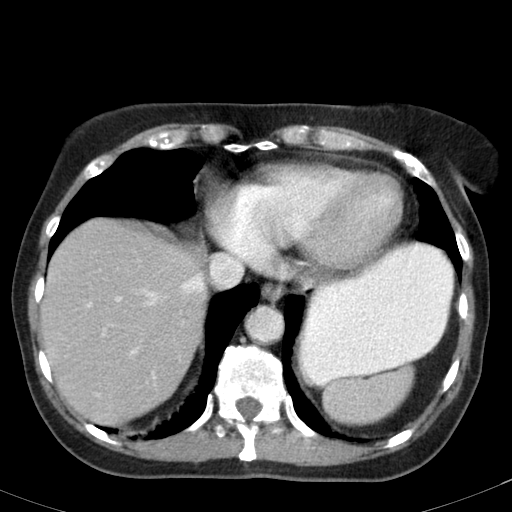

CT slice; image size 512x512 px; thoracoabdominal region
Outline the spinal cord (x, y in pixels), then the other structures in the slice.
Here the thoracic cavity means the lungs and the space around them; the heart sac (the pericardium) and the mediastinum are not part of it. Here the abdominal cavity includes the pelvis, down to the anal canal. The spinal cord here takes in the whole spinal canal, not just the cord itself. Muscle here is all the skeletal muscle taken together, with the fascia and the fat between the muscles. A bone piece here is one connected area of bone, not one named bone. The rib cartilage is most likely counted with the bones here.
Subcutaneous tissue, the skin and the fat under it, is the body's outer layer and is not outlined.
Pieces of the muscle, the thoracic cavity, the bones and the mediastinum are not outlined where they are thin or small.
The spinal cord is outlined by [[248,396],[257,400],[260,403],[261,405],[261,408],[260,410],[253,417],[252,417],[249,420],[245,418],[242,415],[242,414],[238,410],[236,406],[236,403],[239,399],[241,399],[242,398],[244,398]]. The mediastinum appears in 3 outlined pieces: piece 1: [[208,249],[235,256],[247,275],[258,282],[280,286],[303,286],[319,282],[304,300],[301,295],[293,293],[285,297],[285,326],[280,359],[272,352],[254,344],[229,344],[245,314],[258,303],[260,290],[258,284],[252,281],[215,291],[206,271]]; piece 2: [[200,144],[223,144],[222,147],[231,153],[241,153],[249,149],[262,151],[216,157],[199,172],[196,180],[196,197],[198,200],[200,227],[207,248],[202,243],[180,234],[170,223],[184,220],[193,215],[196,211],[193,181],[203,165],[203,160],[186,147]]; piece 3: [[284,144],[308,148],[322,148],[324,150],[371,150],[389,156],[413,176],[411,182],[419,203],[419,221],[416,232],[413,235],[408,236],[415,227],[417,218],[417,199],[411,186],[398,172],[373,159],[343,153],[324,152],[317,150],[272,150],[275,150]]. The torso is outlined by [[193,101],[406,102],[467,122],[496,147],[502,162],[500,185],[491,195],[465,190],[489,258],[490,318],[481,375],[452,435],[421,467],[378,482],[131,478],[85,464],[57,441],[43,421],[26,383],[10,297],[21,239],[58,144],[80,122],[110,109]]. The muscle appears in 4 outlined pieces: piece 1: [[438,184],[448,207],[465,230],[473,250],[472,285],[475,319],[469,364],[458,395],[423,435],[409,445],[388,454],[351,463],[325,466],[299,466],[293,463],[254,460],[257,458],[255,437],[260,425],[265,424],[273,436],[281,435],[285,426],[277,422],[283,418],[283,412],[289,423],[303,437],[320,439],[325,436],[358,444],[386,439],[382,447],[392,448],[407,441],[413,435],[417,426],[407,427],[408,424],[423,411],[438,390],[442,394],[454,382],[461,362],[459,356],[453,359],[458,341],[459,318],[464,321],[467,319],[469,305],[467,294],[464,291],[460,292],[462,264],[470,260],[471,254],[468,240],[461,228],[459,226],[453,230],[451,226],[434,189],[438,187]]; piece 2: [[81,171],[80,174],[85,181],[65,206],[61,215],[52,216],[44,230],[45,236],[50,239],[45,271],[44,275],[38,276],[33,289],[34,301],[40,303],[39,320],[43,349],[40,348],[37,351],[37,359],[41,373],[49,383],[55,382],[69,405],[86,420],[82,424],[84,429],[104,442],[114,446],[151,444],[181,431],[186,433],[194,432],[215,413],[223,420],[222,423],[219,422],[213,426],[216,436],[220,438],[226,436],[229,428],[232,427],[235,427],[241,435],[243,445],[237,454],[238,459],[233,457],[209,459],[200,462],[161,461],[117,452],[95,443],[76,430],[58,413],[47,398],[34,365],[27,313],[28,289],[36,267],[38,240],[43,223],[54,211]]; piece 3: [[173,122],[177,123],[194,123],[197,122],[198,123],[221,123],[227,124],[237,128],[241,132],[243,137],[247,140],[248,140],[256,140],[257,139],[261,138],[265,138],[272,131],[277,128],[292,124],[301,124],[287,127],[282,130],[280,133],[280,137],[284,143],[281,144],[279,147],[279,145],[276,142],[268,138],[262,138],[258,140],[248,142],[230,141],[225,143],[216,143],[224,138],[225,136],[224,132],[221,129],[211,123],[202,123],[201,124],[199,126],[198,132],[200,138],[204,142],[208,143],[200,143],[196,145],[182,146],[188,140],[190,134],[186,129],[183,128],[163,129],[155,133],[150,134],[135,147],[127,149],[117,156],[114,156],[111,154],[104,154],[99,157],[96,157],[111,150],[135,134],[143,130],[160,124]]; piece 4: [[307,124],[311,124],[312,125],[315,124],[333,125],[334,126],[340,126],[341,127],[353,129],[364,134],[378,138],[383,141],[395,145],[401,149],[393,148],[390,151],[389,155],[387,155],[385,153],[372,150],[374,148],[373,146],[363,139],[345,132],[328,129],[324,126],[321,126],[315,129],[311,137],[312,143],[321,147],[308,147],[307,146],[297,145],[305,144],[309,139],[309,136],[313,130],[313,128],[310,125]]. The bones appear in 12 outlined pieces: piece 1: [[228,345],[254,345],[277,357],[295,412],[322,437],[303,436],[283,411],[276,422],[284,426],[282,433],[273,435],[261,423],[254,437],[256,458],[243,461],[242,435],[235,426],[216,435],[214,426],[224,420],[215,412],[196,430],[183,431],[205,409]] with a hole at [[248,396],[257,400],[260,403],[261,405],[261,408],[260,410],[253,417],[252,417],[249,420],[245,418],[242,415],[242,414],[238,410],[236,406],[236,403],[239,399],[241,399],[242,398],[244,398]]; piece 2: [[321,127],[324,127],[328,130],[332,130],[333,131],[336,131],[341,133],[345,133],[354,136],[361,140],[363,140],[366,143],[371,145],[373,148],[367,150],[356,150],[355,149],[352,150],[324,149],[321,146],[313,143],[312,141],[312,137],[315,130]]; piece 3: [[393,149],[399,149],[402,151],[408,152],[412,154],[419,160],[420,160],[429,170],[429,171],[435,179],[437,183],[437,187],[436,188],[433,188],[430,185],[429,185],[418,177],[410,174],[400,163],[399,163],[395,159],[394,159],[390,156],[391,151]]; piece 4: [[174,129],[183,129],[184,130],[186,130],[189,134],[188,135],[188,138],[187,140],[184,142],[181,145],[181,146],[179,147],[171,148],[170,149],[156,149],[155,148],[152,148],[147,146],[137,146],[143,140],[152,134],[155,134],[163,130],[173,130]]; piece 5: [[302,124],[306,124],[310,126],[312,128],[312,130],[310,132],[308,136],[308,139],[307,141],[305,143],[303,143],[302,144],[288,144],[287,143],[285,143],[281,137],[281,133],[283,131],[283,130],[284,129],[290,128],[294,126],[299,126]]; piece 6: [[262,139],[268,139],[276,143],[278,145],[278,147],[277,148],[275,149],[272,149],[271,150],[260,150],[256,147],[252,147],[241,152],[231,152],[226,150],[223,147],[223,145],[224,144],[226,143],[229,143],[230,142],[248,143],[249,142],[258,141]]; piece 7: [[104,155],[111,155],[114,157],[117,157],[114,160],[114,161],[101,173],[93,177],[91,177],[87,180],[85,180],[83,178],[81,174],[82,173],[82,171],[84,167],[90,161],[91,161],[93,159],[95,158],[99,158]]; piece 8: [[202,124],[211,124],[215,126],[218,129],[221,130],[223,132],[223,134],[224,135],[223,138],[222,138],[219,141],[215,143],[209,143],[208,142],[206,142],[204,141],[201,138],[201,136],[199,132],[200,130],[200,126]]; piece 9: [[457,357],[459,357],[459,359],[460,360],[457,374],[453,382],[450,385],[450,386],[444,392],[440,393],[439,392],[439,390],[441,388],[441,384],[442,383],[442,380],[444,378],[444,376],[446,374],[453,360]]; piece 10: [[413,426],[416,426],[416,428],[414,432],[412,434],[412,435],[407,440],[401,443],[399,443],[392,447],[388,447],[387,448],[384,448],[383,447],[384,444],[386,442],[386,440],[388,438],[404,429],[406,429],[407,428],[409,428]]; piece 11: [[84,422],[88,422],[89,423],[91,423],[93,424],[98,428],[106,432],[113,439],[115,439],[119,441],[121,443],[121,444],[120,445],[114,445],[113,444],[111,444],[106,441],[104,441],[92,435],[85,429],[83,425]]; piece 12: [[459,227],[462,233],[465,236],[467,240],[467,243],[468,244],[468,247],[469,248],[469,253],[470,254],[470,258],[467,262],[465,261],[463,261],[462,260],[462,258],[460,255],[460,253],[458,249],[458,246],[456,242],[455,235],[454,234],[454,231]]. The pericardium is outlined by [[263,151],[317,151],[343,154],[373,160],[387,166],[398,173],[412,189],[416,199],[416,218],[413,230],[385,255],[358,272],[303,285],[280,285],[255,280],[248,275],[242,262],[235,255],[223,250],[208,248],[200,222],[197,180],[200,172],[216,158]]. The thoracic cavity appears in 4 outlined pieces: piece 1: [[136,147],[147,147],[156,150],[185,147],[202,160],[202,165],[192,181],[195,202],[193,214],[179,221],[169,223],[136,216],[94,215],[84,219],[70,229],[57,244],[47,261],[50,240],[58,228],[66,206],[72,198],[86,181],[101,174],[120,154]]; piece 2: [[252,282],[257,284],[259,290],[257,303],[244,314],[224,348],[217,365],[215,382],[206,396],[204,409],[193,422],[173,434],[141,444],[122,444],[95,425],[117,430],[123,436],[141,435],[168,421],[177,413],[202,375],[210,302],[220,292],[241,283]]; piece 3: [[289,294],[303,298],[301,320],[293,339],[290,356],[290,367],[303,396],[309,401],[325,423],[337,433],[351,438],[376,439],[389,437],[365,443],[329,437],[310,427],[298,415],[292,397],[284,382],[281,360],[282,342],[286,326],[284,307],[286,297]]; piece 4: [[413,177],[418,178],[430,186],[435,191],[443,210],[445,212],[447,219],[453,231],[457,249],[462,261],[461,277],[459,284],[458,276],[456,273],[454,264],[447,252],[443,248],[433,243],[418,239],[416,236],[420,221],[420,203],[413,186],[412,182]]. The abdominal cavity appears in 2 outlined pieces: piece 1: [[94,216],[136,217],[170,224],[180,235],[202,244],[208,251],[206,276],[217,293],[209,302],[205,319],[205,352],[201,375],[177,412],[141,434],[123,435],[117,429],[94,424],[80,415],[56,385],[44,350],[40,302],[44,293],[46,264],[66,234]]; piece 2: [[414,234],[418,240],[443,249],[451,260],[457,276],[459,294],[456,309],[459,317],[457,341],[452,361],[435,395],[407,425],[384,437],[364,438],[344,435],[329,426],[304,396],[291,367],[292,346],[302,320],[304,301],[321,281],[358,273],[381,259]].